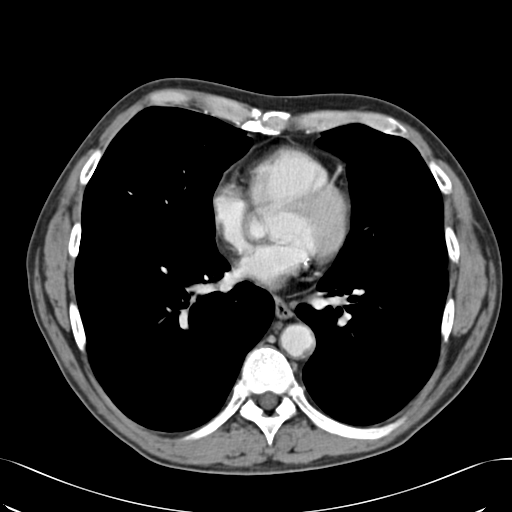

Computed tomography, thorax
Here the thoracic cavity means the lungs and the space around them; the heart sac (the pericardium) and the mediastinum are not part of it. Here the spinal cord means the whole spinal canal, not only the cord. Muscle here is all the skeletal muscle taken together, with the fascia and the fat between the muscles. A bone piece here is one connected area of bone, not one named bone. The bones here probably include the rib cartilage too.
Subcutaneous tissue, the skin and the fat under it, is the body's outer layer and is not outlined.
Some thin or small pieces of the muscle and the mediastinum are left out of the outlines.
Outlined structures:
muscle: [[163,88],[219,95],[205,95],[203,110],[198,111],[180,106],[191,99],[184,92],[152,93],[148,105],[119,129],[104,151],[96,148],[79,173],[79,183],[85,188],[80,220],[72,224],[67,244],[74,262],[76,300],[68,303],[68,316],[75,344],[87,355],[98,383],[134,422],[166,433],[192,430],[180,441],[203,438],[236,413],[260,429],[269,447],[282,424],[298,411],[318,428],[350,439],[376,440],[399,427],[406,420],[405,415],[376,425],[399,412],[436,367],[441,342],[448,341],[454,322],[455,301],[452,296],[447,297],[448,262],[459,261],[460,245],[454,229],[444,226],[442,195],[452,192],[452,182],[435,161],[425,161],[408,139],[409,131],[397,119],[419,132],[433,155],[445,162],[461,181],[470,198],[473,216],[490,247],[496,297],[484,336],[462,373],[417,422],[389,443],[368,451],[325,455],[305,463],[272,458],[249,466],[179,463],[146,451],[114,427],[97,411],[65,367],[38,311],[33,282],[37,249],[41,252],[43,249],[58,197],[78,160],[97,144],[118,114],[144,95]]
bones 1: [[262,346],[275,348],[286,358],[304,388],[306,398],[329,417],[358,427],[380,426],[402,416],[405,420],[379,438],[357,439],[328,432],[298,410],[281,424],[269,446],[261,429],[236,412],[213,432],[197,439],[180,440],[224,407],[240,377],[246,355]] with a hole at [[268,391],[269,391],[270,392],[272,392],[274,394],[275,394],[278,397],[278,403],[272,409],[264,409],[262,407],[261,407],[258,404],[258,403],[257,402],[257,398],[258,397],[258,396],[259,395],[260,395],[261,394],[262,394],[265,392],[267,392]]
bones 2: [[207,95],[235,100],[247,107],[258,108],[262,112],[288,111],[294,116],[320,111],[379,113],[394,118],[405,127],[408,138],[385,133],[359,122],[345,123],[309,133],[298,129],[293,122],[275,135],[245,130],[228,120],[208,113],[203,102]]
bones 3: [[71,301],[73,301],[76,303],[77,305],[77,308],[79,312],[79,315],[81,319],[81,322],[85,334],[85,339],[86,340],[85,348],[86,349],[86,353],[84,354],[82,353],[78,348],[72,332],[72,328],[70,322],[70,317],[69,316],[69,303]]
bones 4: [[161,91],[178,91],[179,92],[181,92],[182,93],[184,93],[185,94],[188,95],[190,97],[190,99],[187,102],[187,103],[185,105],[149,105],[149,98],[150,97],[150,96],[152,94],[153,94],[154,93],[156,93],[157,92],[160,92]]
bones 5: [[449,297],[452,297],[454,301],[454,313],[453,314],[453,322],[452,323],[451,330],[449,333],[449,336],[448,337],[448,339],[446,342],[444,342],[443,343],[441,341],[441,322],[442,321],[442,316],[443,315],[443,311],[445,307],[446,300],[447,298]]
bones 6: [[430,161],[433,161],[434,162],[435,162],[448,176],[448,177],[451,182],[451,192],[450,193],[449,193],[448,194],[442,194],[442,193],[441,192],[441,191],[440,190],[440,189],[439,188],[439,187],[438,186],[438,185],[427,164],[427,163]]
bones 7: [[96,149],[100,149],[102,150],[103,151],[103,153],[100,159],[98,161],[98,163],[92,175],[90,177],[88,182],[85,186],[84,185],[82,185],[80,183],[80,180],[79,179],[80,178],[80,173],[81,172],[81,170],[87,160],[90,157],[92,153]]
bones 8: [[445,226],[450,226],[453,229],[458,241],[458,244],[459,245],[459,257],[458,258],[458,261],[456,263],[452,262],[450,260],[449,260],[449,258],[448,257],[448,252],[447,251],[447,247],[446,246],[446,242],[445,241],[445,233],[444,232],[444,227]]
bones 9: [[77,221],[80,221],[80,224],[81,225],[81,234],[80,235],[80,241],[79,242],[79,250],[78,251],[78,254],[74,261],[72,260],[72,259],[70,257],[69,251],[68,250],[68,244],[69,243],[70,232],[71,231],[72,226],[73,224]]
mediastinum 1: [[315,286],[316,292],[312,299],[310,301],[298,303],[294,310],[295,314],[311,328],[316,341],[315,349],[304,365],[300,378],[297,379],[287,358],[278,349],[265,345],[254,347],[269,327],[274,315],[274,301],[269,292],[276,296],[290,297],[307,292]]
mediastinum 2: [[285,130],[300,130],[307,134],[309,134],[313,132],[321,132],[320,137],[316,140],[315,143],[316,145],[320,148],[324,150],[326,150],[331,153],[329,153],[318,147],[316,147],[304,141],[302,141],[288,133],[283,133],[282,134],[280,134],[281,134],[282,133],[282,132]]
mediastinum 3: [[246,131],[249,131],[250,132],[257,132],[258,133],[261,133],[265,135],[272,135],[273,136],[271,137],[269,137],[255,144],[253,146],[252,146],[253,145],[253,139],[250,136],[248,136],[247,135],[246,133]]
thoracic cavity 1: [[148,106],[179,106],[209,114],[252,139],[246,153],[223,172],[214,191],[214,239],[230,265],[229,273],[265,290],[273,301],[271,321],[245,355],[226,403],[207,422],[185,431],[148,428],[128,417],[108,396],[88,359],[74,284],[86,186],[114,136]]
thoracic cavity 2: [[350,123],[407,139],[418,150],[442,196],[448,258],[448,290],[435,367],[399,411],[367,426],[348,424],[324,413],[310,402],[298,381],[317,341],[312,328],[295,310],[298,304],[313,299],[318,281],[349,232],[351,217],[347,161],[316,142],[323,131]]
torso: [[164,77],[197,78],[274,95],[340,92],[377,97],[421,120],[463,168],[499,246],[500,312],[473,376],[401,445],[349,463],[287,473],[231,475],[177,469],[154,463],[121,441],[67,383],[32,312],[25,267],[28,243],[51,188],[94,125],[126,93]]
pericardium: [[283,134],[288,134],[302,142],[334,155],[339,159],[344,167],[350,200],[349,229],[335,257],[311,289],[290,296],[276,295],[253,281],[238,276],[232,271],[230,262],[218,247],[213,207],[215,191],[225,172],[243,159],[247,152],[255,145],[276,135]]
spinal cord: [[268,391],[269,391],[270,392],[272,392],[274,394],[275,394],[278,397],[278,403],[272,409],[264,409],[262,407],[261,407],[258,404],[258,403],[257,402],[257,398],[258,397],[258,396],[259,395],[260,395],[261,394],[262,394],[265,392],[267,392]]